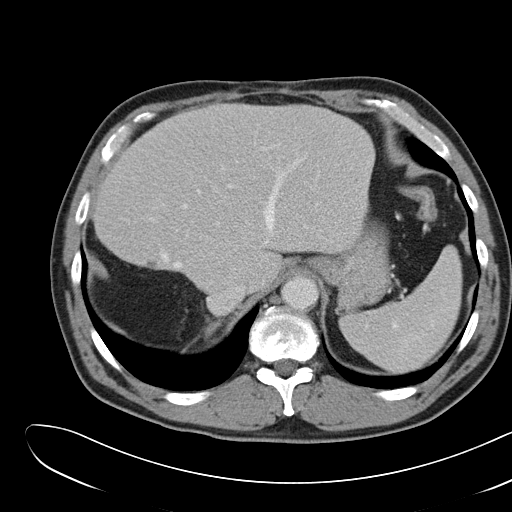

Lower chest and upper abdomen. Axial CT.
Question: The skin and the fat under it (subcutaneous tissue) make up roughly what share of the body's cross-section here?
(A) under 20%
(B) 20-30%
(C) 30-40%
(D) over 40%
Answer: (A) under 20%
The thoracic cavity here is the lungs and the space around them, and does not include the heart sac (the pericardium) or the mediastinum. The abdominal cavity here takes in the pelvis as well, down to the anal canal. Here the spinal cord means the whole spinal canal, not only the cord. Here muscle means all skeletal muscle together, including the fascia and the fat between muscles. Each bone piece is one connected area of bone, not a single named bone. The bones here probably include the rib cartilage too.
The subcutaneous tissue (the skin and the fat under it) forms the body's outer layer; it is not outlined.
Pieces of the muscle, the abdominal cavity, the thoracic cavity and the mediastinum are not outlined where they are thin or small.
The mediastinum is outlined by [[296,271],[304,272],[313,277],[317,281],[321,290],[321,305],[319,308],[319,321],[317,329],[314,322],[306,314],[302,312],[293,311],[281,305],[271,305],[267,307],[260,315],[257,316],[259,311],[258,304],[261,300],[267,296],[280,283],[286,274]]. The torso is outlined by [[355,75],[392,79],[428,99],[463,138],[493,193],[511,252],[511,313],[500,353],[483,379],[462,399],[424,424],[378,437],[331,443],[214,439],[162,427],[92,395],[74,370],[58,325],[50,289],[49,255],[62,197],[103,118],[128,97],[172,82]]. The spinal cord is outlined by [[280,359],[291,359],[292,360],[294,360],[295,361],[296,361],[298,363],[298,366],[296,368],[295,371],[290,375],[288,375],[287,376],[281,376],[280,375],[278,375],[275,372],[275,370],[273,368],[273,364],[274,363],[274,362],[275,362]]. The bones appear in 11 outlined pieces: piece 1: [[271,306],[281,306],[306,315],[313,322],[320,340],[317,351],[307,362],[313,376],[309,381],[301,382],[293,388],[291,405],[294,413],[290,416],[283,413],[284,402],[280,393],[273,386],[257,378],[256,371],[262,362],[248,350],[249,332],[254,320]], around a hole outlined by [[280,359],[291,359],[292,360],[294,360],[295,361],[296,361],[298,363],[298,366],[296,368],[295,371],[290,375],[288,375],[287,376],[281,376],[280,375],[278,375],[275,372],[275,370],[273,368],[273,364],[274,363],[274,362],[275,362]]; piece 2: [[365,98],[387,99],[402,107],[427,129],[437,135],[445,143],[450,152],[450,155],[451,156],[450,159],[448,161],[446,161],[425,143],[416,137],[403,125],[398,123],[390,117],[382,109],[378,108],[373,105],[366,105],[362,103],[360,100]]; piece 3: [[146,111],[154,112],[156,113],[156,115],[147,121],[143,121],[134,125],[133,126],[132,133],[121,144],[119,149],[115,152],[113,156],[107,163],[103,163],[101,161],[101,150],[105,145],[108,138],[120,126],[127,122],[129,122],[136,115]]; piece 4: [[202,390],[208,390],[210,392],[210,394],[204,400],[197,402],[196,403],[194,403],[193,404],[190,404],[189,405],[180,405],[179,404],[175,404],[168,401],[163,397],[164,394],[168,391],[175,391],[176,392],[195,392],[196,391],[201,391]]; piece 5: [[412,385],[414,385],[417,387],[417,391],[412,395],[406,398],[404,398],[403,399],[398,399],[397,400],[385,400],[380,397],[378,397],[374,395],[374,392],[380,389],[394,389],[395,388],[400,388],[401,387],[405,387],[406,386],[411,386]]; piece 6: [[92,326],[94,327],[94,328],[100,336],[101,339],[103,341],[105,345],[108,348],[110,352],[117,360],[117,361],[122,366],[122,370],[121,371],[119,371],[114,368],[100,354],[100,353],[97,350],[90,334],[90,328]]; piece 7: [[474,309],[478,311],[478,320],[477,321],[477,324],[476,325],[475,330],[467,344],[464,347],[464,348],[460,352],[458,353],[456,351],[457,346],[463,334],[463,332],[466,327],[466,325],[468,322],[468,320],[470,317],[470,315]]; piece 8: [[87,191],[88,191],[90,193],[90,200],[89,201],[89,207],[88,208],[88,211],[87,212],[87,215],[86,216],[86,218],[85,219],[85,220],[81,224],[77,224],[75,221],[75,213],[76,212],[76,210],[78,207],[79,202],[80,201],[83,194]]; piece 9: [[78,249],[79,249],[80,250],[80,253],[81,254],[81,278],[80,279],[80,284],[79,284],[78,285],[75,286],[72,283],[72,281],[71,280],[71,265],[72,264],[72,261],[73,260],[73,258],[74,257],[74,255],[75,254],[76,251]]; piece 10: [[476,237],[478,237],[479,238],[480,238],[484,242],[484,243],[487,248],[487,254],[488,255],[488,259],[487,260],[487,265],[484,269],[483,269],[480,266],[480,265],[479,264],[479,261],[478,260],[478,258],[477,257],[477,251],[476,250]]; piece 11: [[462,183],[464,183],[466,184],[470,188],[470,189],[473,192],[477,200],[477,202],[478,203],[478,209],[475,213],[472,211],[471,208],[469,206],[464,196],[463,191],[460,185],[460,184]]. The abdominal cavity is outlined by [[266,93],[342,112],[385,113],[404,127],[401,135],[416,161],[458,181],[477,281],[467,322],[429,366],[384,376],[340,364],[318,333],[320,285],[299,270],[286,273],[225,340],[195,356],[132,342],[92,308],[81,230],[91,196],[122,144],[168,112]]. The thoracic cavity appears in 4 outlined pieces: piece 1: [[81,247],[86,260],[85,290],[91,308],[110,330],[144,348],[184,358],[205,354],[225,341],[240,320],[257,306],[257,314],[248,332],[247,352],[236,370],[230,377],[219,384],[192,391],[170,390],[152,385],[136,377],[114,356],[89,316],[81,288]]; piece 2: [[465,326],[456,347],[444,363],[429,377],[423,381],[411,385],[394,388],[376,388],[356,384],[345,379],[330,364],[322,350],[323,347],[321,344],[321,339],[323,341],[323,346],[331,357],[340,365],[350,370],[370,376],[393,377],[422,370],[437,362]]; piece 3: [[412,137],[417,138],[430,149],[431,149],[437,155],[442,158],[448,164],[454,172],[457,178],[457,181],[455,181],[452,179],[451,177],[442,171],[440,171],[431,167],[428,167],[420,163],[419,161],[416,160],[410,152],[410,150],[408,147],[408,140]]; piece 4: [[458,185],[460,186],[463,196],[473,213],[473,223],[474,224],[474,232],[475,233],[475,250],[476,251],[476,257],[479,265],[479,273],[478,274],[478,268],[476,264],[475,258],[472,253],[469,235],[468,234],[468,214],[466,211],[466,208],[458,193]]. The muscle is outlined by [[271,87],[362,89],[404,99],[447,136],[479,186],[499,264],[497,331],[488,352],[473,369],[407,419],[331,431],[293,415],[292,405],[294,388],[314,376],[308,362],[319,347],[345,380],[379,389],[373,395],[385,401],[397,401],[415,394],[415,384],[429,378],[455,349],[460,353],[478,324],[478,275],[489,259],[485,242],[475,232],[478,200],[466,183],[459,182],[447,162],[452,156],[446,143],[387,98],[359,100],[383,112],[342,111],[303,96],[256,93],[174,109],[133,132],[134,126],[157,115],[154,111],[142,111],[107,138],[100,150],[100,161],[109,165],[91,195],[88,190],[82,194],[74,213],[75,223],[82,226],[80,247],[70,265],[70,280],[75,287],[80,285],[92,323],[92,342],[114,369],[121,372],[123,366],[142,382],[169,390],[162,396],[168,402],[189,406],[204,401],[211,394],[207,389],[230,378],[248,351],[261,362],[255,371],[256,378],[279,393],[285,417],[255,430],[170,420],[95,380],[81,359],[66,307],[64,230],[79,180],[101,139],[142,105],[214,91],[243,92]].